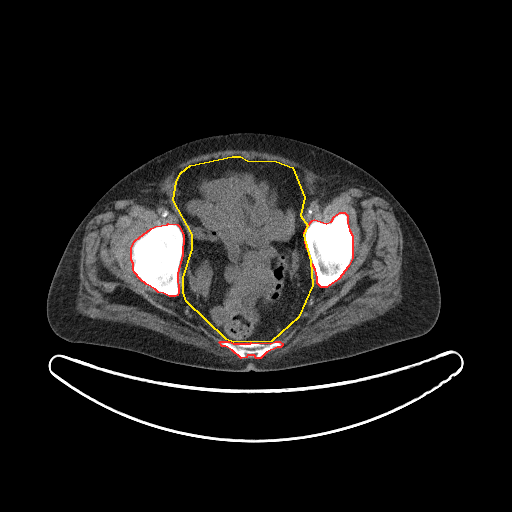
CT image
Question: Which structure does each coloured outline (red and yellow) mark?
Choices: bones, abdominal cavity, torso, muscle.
Answer: red: bones; yellow: abdominal cavity.
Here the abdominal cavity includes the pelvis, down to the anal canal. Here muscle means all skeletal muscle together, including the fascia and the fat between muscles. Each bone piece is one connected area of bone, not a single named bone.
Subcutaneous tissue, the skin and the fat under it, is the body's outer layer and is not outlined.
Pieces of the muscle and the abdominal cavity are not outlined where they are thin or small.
{"bones":[[[168,223],[177,224],[179,226],[183,235],[182,255],[177,273],[178,293],[177,295],[175,296],[169,296],[163,293],[158,292],[155,289],[146,284],[140,279],[134,272],[133,270],[133,263],[131,260],[131,247],[135,240],[151,228],[155,226],[167,224]],[[340,212],[344,212],[347,215],[347,222],[349,230],[352,235],[352,258],[348,266],[338,279],[326,287],[321,287],[317,283],[317,277],[315,269],[312,264],[308,250],[306,247],[304,233],[307,226],[312,220],[314,219],[326,223],[331,221],[334,216]],[[220,341],[229,341],[233,343],[250,343],[251,342],[270,343],[275,341],[279,341],[282,343],[282,345],[280,347],[277,347],[266,352],[260,358],[256,358],[254,355],[247,355],[246,357],[241,358],[232,350],[225,346],[222,346],[219,342]]],"abdominal_cavity":[[[232,156],[240,156],[247,160],[276,161],[292,167],[304,197],[300,215],[307,225],[303,235],[310,260],[312,285],[298,317],[271,341],[233,342],[226,339],[186,301],[183,292],[183,277],[192,249],[192,234],[173,200],[176,181],[181,172],[190,165]]],"muscle":[{"outer":[[228,149],[279,155],[383,195],[403,237],[401,301],[382,315],[264,362],[266,353],[283,345],[272,341],[309,299],[311,262],[317,285],[330,286],[353,258],[353,235],[344,211],[326,222],[302,220],[305,197],[292,166],[232,155],[190,164],[175,181],[172,200],[191,234],[182,292],[227,340],[218,342],[222,347],[241,359],[255,358],[234,362],[141,326],[81,314],[79,262],[89,221],[112,202],[157,184],[177,164]],"hole":[[168,223],[178,224],[183,235],[183,254],[181,257],[177,273],[178,293],[175,296],[169,296],[163,293],[158,292],[155,289],[146,284],[134,272],[133,270],[133,263],[131,260],[131,247],[135,240],[151,228],[155,226],[167,224]]}],"torso":[[[234,132],[275,134],[327,149],[367,171],[395,197],[422,233],[439,281],[440,311],[437,321],[427,333],[343,359],[267,372],[229,372],[175,364],[129,350],[70,342],[54,333],[46,315],[49,286],[71,235],[96,202],[121,178],[155,156],[195,139]]]}